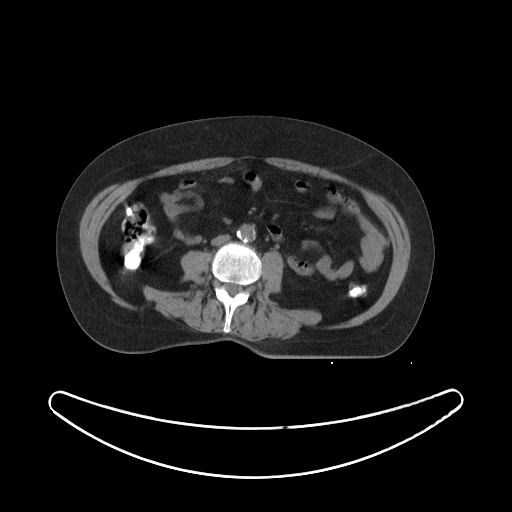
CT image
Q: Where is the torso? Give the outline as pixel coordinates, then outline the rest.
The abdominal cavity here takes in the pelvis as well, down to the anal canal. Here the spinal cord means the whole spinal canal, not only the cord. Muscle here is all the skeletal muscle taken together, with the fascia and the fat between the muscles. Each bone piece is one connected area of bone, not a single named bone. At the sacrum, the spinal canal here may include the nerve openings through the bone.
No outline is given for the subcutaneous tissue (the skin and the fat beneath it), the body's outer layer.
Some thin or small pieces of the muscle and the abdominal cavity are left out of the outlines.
A: {"torso":[[[245,114],[294,117],[347,132],[393,158],[418,187],[433,230],[433,273],[425,303],[412,332],[392,353],[380,358],[271,359],[233,341],[224,340],[128,354],[96,343],[76,322],[58,275],[55,234],[63,201],[82,170],[108,147],[142,131],[192,119]]],"muscle":[[[243,155],[288,158],[326,168],[382,195],[395,206],[409,231],[410,257],[397,293],[379,313],[360,325],[309,329],[284,340],[255,342],[229,333],[235,310],[249,300],[248,287],[262,274],[260,256],[269,250],[278,252],[283,260],[281,289],[272,298],[282,308],[316,310],[330,324],[371,306],[384,289],[392,263],[393,244],[388,229],[359,190],[259,158],[143,180],[113,209],[99,234],[99,259],[112,288],[137,305],[145,301],[144,286],[171,292],[186,290],[189,285],[181,280],[181,257],[191,250],[211,252],[210,271],[216,281],[212,289],[224,309],[223,332],[196,331],[161,314],[129,310],[111,300],[87,269],[79,245],[79,223],[93,197],[112,184],[170,165]]],"spinal_cord":[[[225,283],[233,283],[234,284],[237,284],[238,285],[239,285],[240,286],[241,286],[241,290],[240,291],[239,291],[237,293],[236,293],[233,296],[232,296],[231,295],[230,295],[226,290],[226,289],[225,288],[225,286],[224,285],[224,284]]],"bones":[{"outer":[[228,242],[237,242],[253,248],[261,260],[261,274],[256,281],[247,287],[249,291],[248,300],[245,303],[239,305],[234,310],[230,323],[230,331],[225,333],[223,331],[225,309],[223,304],[214,293],[213,289],[217,281],[211,271],[211,262],[216,251]],"hole":[[225,283],[233,283],[234,284],[237,284],[238,285],[239,285],[240,286],[241,286],[241,290],[240,291],[239,291],[237,293],[236,293],[233,296],[232,296],[231,295],[230,295],[226,290],[226,289],[225,288],[225,286],[224,285],[224,284]]}],"abdominal_cavity":[[[244,159],[359,191],[392,244],[388,275],[371,305],[333,323],[316,309],[282,307],[273,298],[282,289],[281,254],[269,249],[259,255],[237,241],[214,253],[184,253],[179,263],[186,289],[144,285],[139,304],[115,291],[99,252],[114,209],[143,181]]]}